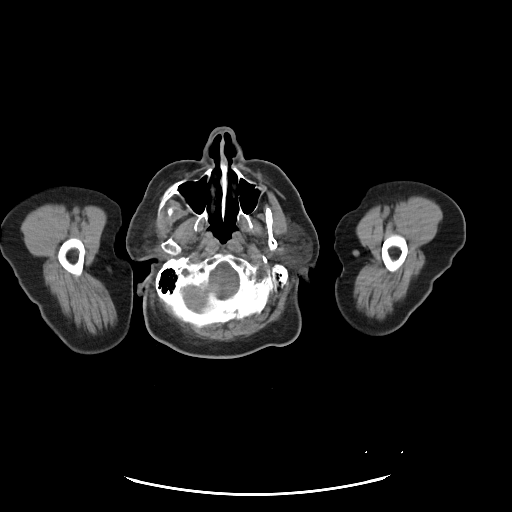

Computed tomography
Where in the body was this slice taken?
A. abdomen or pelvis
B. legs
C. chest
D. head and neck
D. head and neck
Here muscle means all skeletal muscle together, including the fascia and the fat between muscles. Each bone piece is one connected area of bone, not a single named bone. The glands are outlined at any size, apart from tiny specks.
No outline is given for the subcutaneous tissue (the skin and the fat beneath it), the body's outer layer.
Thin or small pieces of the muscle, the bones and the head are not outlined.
Outlined structures:
left arm: [[391,180],[424,182],[449,195],[464,215],[466,240],[463,247],[453,258],[452,265],[435,280],[432,291],[405,323],[389,334],[372,336],[352,328],[337,309],[334,299],[334,282],[342,269],[342,265],[333,248],[334,231],[341,217],[359,204],[369,187]]
parotid glands 1: [[293,221],[299,224],[299,225],[303,228],[305,233],[309,237],[311,241],[311,255],[309,259],[308,259],[307,261],[302,263],[299,267],[298,266],[297,267],[290,266],[281,258],[279,254],[280,253],[280,249],[281,248],[283,234],[290,226],[291,222]]
parotid glands 2: [[149,218],[151,218],[155,221],[155,232],[156,233],[156,242],[155,243],[155,248],[156,249],[156,251],[140,251],[139,250],[138,250],[138,244],[139,243],[139,237],[140,236],[140,234],[141,233],[141,232],[142,231],[145,224],[147,222],[147,221]]
head: [[218,126],[233,130],[246,159],[281,168],[319,241],[317,267],[309,283],[301,279],[297,287],[299,335],[287,345],[232,359],[192,357],[156,346],[145,325],[143,298],[136,293],[155,260],[135,261],[125,246],[130,219],[151,178],[173,161],[200,159]]; inner edge: [[225,133],[234,154],[229,164],[220,141],[220,216],[225,216],[229,170],[237,201],[241,179],[259,194],[251,213],[238,202],[237,228],[221,242],[208,229],[207,207],[196,212],[179,187],[203,177],[211,181],[216,165],[210,150],[215,137]]
brain: [[222,262],[227,263],[237,274],[238,286],[236,291],[230,296],[225,298],[218,297],[213,291],[209,291],[207,293],[205,304],[201,308],[200,311],[197,311],[189,307],[186,303],[182,289],[187,286],[195,286],[200,288],[205,288],[209,283],[211,272]]
bones 1: [[170,237],[181,248],[176,258],[189,256],[190,262],[197,263],[218,252],[231,253],[259,265],[257,273],[260,276],[275,263],[281,264],[288,271],[287,281],[283,287],[270,292],[260,313],[197,327],[176,317],[155,288],[156,273],[172,256],[161,247]]; inner edge: [[222,262],[227,263],[237,274],[238,286],[236,291],[230,296],[225,298],[218,297],[213,291],[209,291],[207,293],[205,304],[201,308],[200,311],[197,311],[189,307],[186,303],[182,289],[187,286],[195,286],[200,288],[205,288],[209,283],[211,272]]
bones 2: [[71,237],[76,237],[80,239],[83,243],[83,245],[84,246],[84,249],[85,250],[85,253],[84,254],[84,261],[83,262],[83,269],[82,270],[81,274],[79,276],[75,276],[68,271],[67,271],[61,265],[57,257],[58,250],[61,244],[65,240]]
bones 3: [[222,139],[222,150],[227,163],[229,165],[234,163],[248,179],[259,186],[266,187],[254,211],[260,190],[253,183],[241,178],[235,190],[237,200],[233,196],[233,183],[236,181],[236,175],[229,169],[224,216],[221,216],[222,189],[219,165]]
bones 4: [[391,234],[398,234],[401,235],[404,237],[406,240],[406,243],[407,244],[407,254],[405,257],[405,259],[403,263],[393,272],[389,271],[386,268],[384,265],[381,256],[381,248],[382,247],[383,241],[386,237],[389,236]]
bones 5: [[184,178],[187,181],[182,183],[178,190],[185,201],[198,214],[206,207],[208,211],[208,225],[204,219],[201,219],[197,225],[197,231],[194,230],[197,217],[188,211],[185,202],[176,194],[165,202],[159,215],[157,215],[157,209],[164,191],[176,181]]
bones 6: [[266,206],[268,206],[270,208],[270,209],[272,212],[272,219],[273,220],[273,221],[272,222],[272,234],[277,242],[277,247],[274,250],[271,250],[269,248],[269,246],[268,245],[268,232],[267,231],[267,228],[266,227],[266,224],[265,223],[265,207]]
bones 7: [[239,202],[241,206],[241,208],[242,210],[246,214],[250,214],[250,219],[252,223],[252,227],[251,228],[249,228],[247,222],[243,218],[241,218],[238,221],[237,221],[236,216],[237,215],[237,212],[238,211],[238,204]]
bones 8: [[213,164],[215,165],[215,168],[213,171],[213,174],[210,179],[210,181],[208,182],[206,181],[206,178],[204,176],[201,177],[196,181],[194,181],[193,180],[195,178],[197,178],[199,177],[201,175],[201,174],[210,165],[212,165]]
bones 9: [[212,183],[213,183],[215,186],[215,197],[213,200],[213,203],[214,204],[214,209],[213,210],[213,211],[211,211],[211,204],[212,203],[212,198],[211,197],[211,195],[210,194],[210,192],[209,191],[209,189],[210,188],[210,186]]
right arm: [[60,185],[80,186],[100,191],[116,201],[122,210],[122,226],[115,238],[114,251],[129,261],[133,271],[131,326],[119,344],[97,354],[74,352],[52,332],[42,319],[37,306],[29,300],[18,284],[11,267],[0,253],[1,224],[8,211],[30,194]]
muscle 1: [[206,163],[212,164],[199,176],[176,180],[163,191],[156,209],[158,217],[166,202],[176,195],[196,217],[195,232],[204,220],[207,229],[224,243],[241,219],[251,229],[251,214],[267,187],[248,178],[236,163],[261,170],[275,181],[289,203],[293,220],[282,234],[278,254],[294,268],[288,305],[276,325],[252,340],[220,344],[185,341],[162,321],[151,301],[154,278],[156,294],[172,314],[201,328],[260,314],[271,292],[283,288],[288,281],[288,269],[278,262],[260,275],[259,264],[231,252],[218,251],[197,262],[190,261],[189,255],[176,257],[182,248],[171,236],[160,243],[161,249],[171,256],[164,261],[158,254],[156,221],[147,216],[160,182],[170,173],[196,169]]; inner edge: [[266,206],[268,206],[270,208],[270,209],[272,212],[272,219],[273,220],[273,221],[272,222],[272,234],[277,242],[277,247],[274,250],[271,250],[269,248],[269,246],[268,245],[268,232],[267,231],[267,228],[266,227],[266,224],[265,223],[265,207]]
muscle 2: [[45,203],[91,204],[103,208],[107,213],[107,223],[103,230],[99,251],[95,257],[92,268],[94,274],[105,284],[109,291],[118,318],[116,324],[103,334],[91,335],[71,325],[62,316],[43,288],[36,259],[29,253],[24,244],[20,225],[27,213]] with a hole at [[71,237],[76,237],[80,239],[83,243],[83,245],[84,246],[84,249],[85,250],[85,253],[84,254],[84,261],[83,262],[83,269],[82,270],[81,274],[79,276],[75,276],[68,271],[67,271],[61,265],[57,257],[58,250],[61,244],[65,240]]
muscle 3: [[414,194],[431,198],[440,206],[443,212],[441,226],[436,236],[425,250],[425,265],[400,306],[386,319],[377,320],[369,318],[363,313],[357,311],[352,297],[353,283],[357,274],[359,258],[355,226],[364,213],[373,205],[377,203],[395,201]] with a hole at [[391,234],[398,234],[401,235],[404,237],[406,240],[406,243],[407,244],[407,254],[405,257],[405,259],[403,263],[393,272],[389,271],[386,268],[384,265],[381,256],[381,248],[382,247],[383,241],[386,237],[389,236]]